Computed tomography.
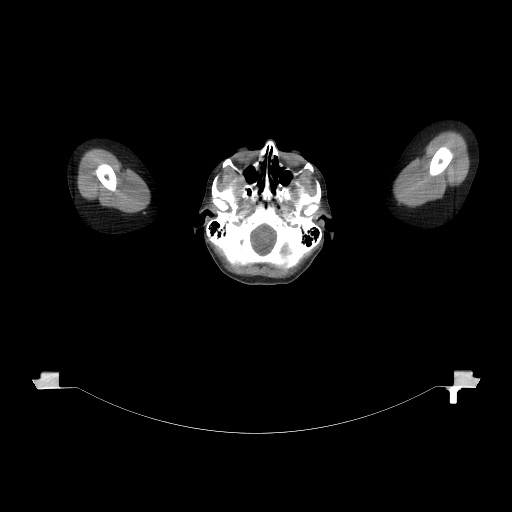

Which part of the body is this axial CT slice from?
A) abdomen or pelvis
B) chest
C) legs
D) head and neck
D) head and neck
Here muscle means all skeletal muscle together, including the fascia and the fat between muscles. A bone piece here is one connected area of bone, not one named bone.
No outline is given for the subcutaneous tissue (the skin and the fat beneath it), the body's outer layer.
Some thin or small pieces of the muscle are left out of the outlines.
Outlines (x, y in pixels):
head: 268,139 279,151 298,149 320,170 331,210 331,218 321,218 334,236 324,234 322,249 292,282 248,285 219,270 204,243 204,230 199,227 193,233 193,226 211,214 198,211 214,167 237,148 260,150, around holes outlined by 275,161 277,165 280,168 286,171 290,172 291,174 291,177 289,181 286,184 283,184 281,182 280,182 279,181 279,178 278,176 277,175 274,175 274,174 270,171 270,168 272,168 273,167 274,165 274,162 and by 249,166 251,166 254,169 254,170 256,172 256,173 257,174 257,179 256,179 254,181 253,181 252,182 249,182 247,180 247,179 246,178 246,176 245,175 245,174 244,173 244,172 245,171 245,170
brain: 261,225 266,225 270,227 274,231 275,233 275,240 274,241 274,243 272,247 270,249 270,250 265,253 259,253 257,251 256,251 256,250 253,247 252,245 252,243 251,242 251,234 252,232 256,228 257,228
left arm: 444,118 455,118 462,120 467,123 474,131 479,145 479,163 477,171 465,201 457,214 451,220 434,229 425,230 424,229 414,228 394,219 390,215 384,205 383,200 384,188 388,177 403,150 415,134 429,123
bones 1: 268,140 292,171 312,165 312,173 298,177 309,194 315,179 321,187 312,219 322,236 290,268 233,265 205,229 218,209 214,177 220,174 222,190 223,176 237,174 222,168 224,160 252,183 258,174 251,164 with holes at 261,225 266,225 270,227 274,231 275,233 275,240 274,241 274,243 272,247 270,249 270,250 265,253 259,253 257,251 256,251 256,250 253,247 252,245 252,243 251,242 251,234 252,232 256,228 257,228 and at 275,161 277,165 280,168 286,171 290,172 291,174 291,177 289,181 286,184 283,184 281,182 280,182 279,181 279,178 278,176 277,175 274,175 274,174 270,171 270,168 272,168 273,167 274,165 274,162
bones 2: 441,146 445,146 447,147 452,152 453,154 453,156 450,162 447,165 447,166 442,172 441,172 437,175 432,176 429,174 429,169 430,168 430,161 431,160 431,158 433,156 435,152
bones 3: 102,163 106,163 110,165 115,173 115,175 116,176 116,181 117,182 116,183 116,189 114,191 112,191 111,190 109,190 107,189 101,183 101,182 99,180 99,179 97,177 95,173 95,170 96,168 100,164
muscle 1: 445,130 455,130 460,132 464,136 466,140 470,158 470,166 465,179 458,186 451,188 444,198 437,199 419,208 407,207 398,204 396,202 392,192 394,180 402,169 414,158 418,152 434,136 441,131 with a hole at 441,146 445,146 447,147 452,152 453,154 453,156 450,162 447,165 447,166 442,172 441,172 437,175 432,176 429,174 429,169 430,168 430,161 431,160 431,158 433,156 435,152
muscle 2: 95,147 103,148 112,152 126,167 132,169 144,180 149,188 151,197 150,198 150,203 143,211 140,211 133,214 123,213 108,207 101,206 98,203 88,201 80,195 77,187 77,171 78,170 79,161 85,151; inner edge: 102,163 106,163 110,165 115,173 115,175 116,176 116,181 117,182 116,183 116,189 114,191 112,191 111,190 109,190 107,189 101,183 101,182 99,180 99,179 97,177 95,173 95,170 96,168 100,164
muscle 3: 210,242 222,252 225,259 233,266 247,266 251,264 270,264 277,268 282,269 290,269 294,267 306,254 310,252 316,246 317,247 296,272 287,277 274,278 259,275 244,276 229,271 222,264 218,256 215,253
muscle 4: 306,170 309,170 309,172 311,174 314,172 315,173 315,175 317,176 317,178 315,178 313,180 314,182 314,187 315,188 315,192 313,194 311,194 308,192 306,189 306,186 303,184 299,177 300,175
muscle 5: 227,167 229,167 234,171 236,174 233,177 230,178 231,174 229,172 225,173 222,176 222,178 225,182 225,185 222,189 219,189 218,188 218,183 221,174 218,173 218,172 219,172 220,170 225,169
muscle 6: 321,199 322,201 322,203 323,204 323,208 324,210 323,212 320,213 317,216 316,218 316,220 319,223 319,224 315,221 314,221 313,219 314,218 314,215 315,213 318,210 320,206 320,202 321,201
muscle 7: 210,195 210,196 211,197 211,201 212,202 212,203 215,206 215,207 217,209 216,210 216,211 215,212 209,206 208,206 208,200 209,199 209,198 210,197
right arm: 101,136 117,140 129,147 142,161 156,184 159,192 161,203 160,211 155,220 146,227 118,235 109,235 100,233 89,228 80,218 75,209 69,193 66,179 66,169 69,157 74,148 82,141 92,137 100,137